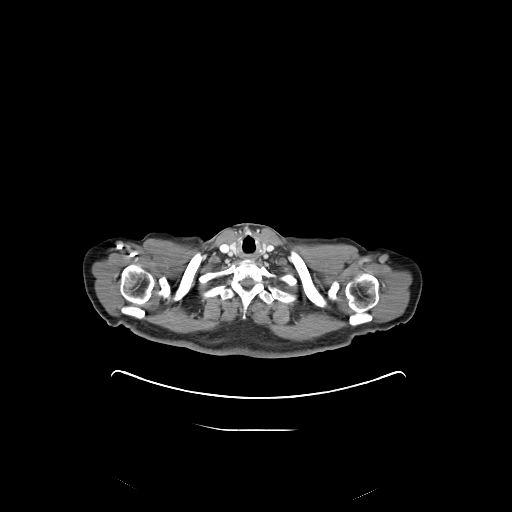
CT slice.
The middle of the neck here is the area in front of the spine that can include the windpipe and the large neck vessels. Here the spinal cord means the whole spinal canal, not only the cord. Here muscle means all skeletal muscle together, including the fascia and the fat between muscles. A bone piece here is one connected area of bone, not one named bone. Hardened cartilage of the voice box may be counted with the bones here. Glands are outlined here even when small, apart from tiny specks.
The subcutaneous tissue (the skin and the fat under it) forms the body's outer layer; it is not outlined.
The torso is outlined by (241, 222) (268, 225) (286, 236) (344, 236) (359, 243) (364, 248) (344, 281) (345, 299) (352, 307) (396, 326) (356, 336) (349, 345) (332, 350) (255, 358) (201, 353) (145, 339) (123, 325) (108, 325) (99, 315) (141, 308) (157, 281) (139, 239) (153, 231) (208, 239). The bones appear in 5 outlined pieces: piece 1: (244, 259) (253, 260) (278, 277) (291, 274) (296, 279) (294, 285) (278, 278) (265, 280) (297, 299) (291, 303) (275, 299) (267, 304) (256, 295) (243, 319) (243, 305) (236, 293) (224, 300) (219, 295) (202, 297) (202, 292) (230, 276) (200, 282) (201, 275) (225, 270) with a hole at (245, 278) (250, 278) (251, 279) (252, 279) (252, 280) (254, 282) (254, 283) (253, 284) (253, 285) (250, 288) (249, 288) (248, 289) (246, 289) (244, 287) (243, 287) (243, 286) (240, 283) (240, 281) (241, 281) (242, 280) (243, 280); piece 2: (129, 264) (138, 264) (142, 268) (148, 271) (155, 280) (155, 284) (152, 290) (150, 298) (141, 306) (145, 311) (145, 316) (142, 319) (138, 319) (135, 317) (126, 315) (122, 313) (121, 311) (121, 308) (123, 306) (131, 304) (130, 302) (124, 298) (119, 289) (121, 272); piece 3: (361, 273) (369, 273) (377, 278) (379, 282) (379, 299) (378, 302) (368, 311) (372, 316) (372, 319) (369, 322) (366, 322) (355, 326) (352, 326) (349, 324) (348, 319) (349, 316) (353, 311) (349, 307) (348, 305) (348, 300) (345, 296) (345, 286) (350, 280) (358, 274); piece 4: (292, 249) (301, 257) (305, 263) (315, 287) (323, 296) (326, 298) (327, 297) (328, 289) (333, 281) (335, 280) (338, 282) (339, 288) (336, 293) (339, 298) (338, 300) (328, 300) (327, 305) (325, 307) (319, 307) (309, 300) (303, 290) (298, 272) (294, 264) (288, 258); piece 5: (198, 251) (205, 255) (205, 257) (200, 262) (196, 270) (192, 281) (192, 285) (188, 292) (180, 300) (177, 301) (163, 298) (157, 294) (157, 291) (160, 289) (158, 280) (162, 276) (164, 276) (166, 278) (170, 286) (171, 292) (173, 293) (175, 291) (188, 263) (193, 255). The right arm is outlined by (114, 236) (126, 236) (138, 239) (140, 241) (146, 250) (150, 262) (150, 265) (156, 281) (146, 304) (141, 307) (129, 307) (128, 308) (117, 309) (98, 314) (94, 309) (85, 292) (84, 284) (83, 283) (83, 276) (82, 275) (82, 260) (85, 252) (91, 246) (107, 238). The muscle is outlined by (244, 226) (267, 228) (288, 242) (345, 243) (361, 255) (385, 253) (394, 268) (412, 274) (409, 302) (401, 315) (372, 322) (369, 311) (379, 302) (380, 282) (361, 272) (344, 286) (351, 326) (314, 339) (281, 338) (251, 321) (179, 333) (142, 320) (142, 306) (156, 280) (138, 263) (129, 263) (120, 272) (118, 286) (130, 303) (120, 311) (129, 316) (113, 316) (96, 295) (91, 266) (114, 243) (141, 245) (148, 238) (161, 238) (208, 244) (222, 232), around holes outlined by (242, 234) (253, 234) (273, 247) (267, 259) (255, 263) (278, 277) (291, 274) (294, 285) (265, 280) (295, 294) (295, 301) (267, 304) (256, 295) (243, 319) (236, 293) (224, 300) (219, 295) (202, 297) (230, 276) (206, 282) (199, 277) (237, 264) (239, 259) (219, 248) and by (292, 249) (301, 257) (305, 263) (315, 287) (323, 296) (326, 298) (327, 297) (328, 289) (333, 281) (335, 280) (338, 282) (339, 288) (336, 293) (339, 298) (338, 300) (328, 300) (327, 305) (325, 307) (319, 307) (309, 300) (303, 290) (298, 272) (294, 264) (288, 258) and by (198, 251) (205, 255) (205, 257) (200, 262) (196, 270) (192, 281) (192, 285) (188, 292) (180, 300) (177, 301) (163, 298) (157, 294) (157, 291) (160, 289) (158, 280) (162, 276) (164, 276) (166, 278) (170, 286) (171, 292) (173, 293) (175, 291) (188, 263) (193, 255). The left arm is outlined by (377, 247) (386, 247) (395, 250) (402, 254) (405, 254) (413, 258) (419, 264) (421, 268) (423, 276) (422, 292) (413, 316) (406, 323) (401, 323) (398, 325) (395, 325) (390, 322) (360, 310) (348, 303) (343, 292) (344, 291) (345, 281) (364, 249) (366, 248) (370, 250). The middle of the neck is outlined by (242, 234) (253, 234) (261, 240) (259, 248) (260, 254) (262, 254) (266, 250) (268, 244) (271, 245) (273, 249) (269, 254) (269, 257) (267, 259) (263, 260) (260, 259) (255, 261) (249, 258) (236, 259) (228, 257) (227, 255) (221, 252) (219, 250) (220, 245) (227, 243) with a hole at (236, 239) (237, 239) (237, 248) (238, 249) (238, 251) (239, 252) (239, 253) (237, 255) (236, 254) (234, 254) (232, 252) (232, 250) (230, 248) (230, 246) (229, 245) (230, 244) (230, 243) (233, 240) (235, 240). The thyroid glands appear in 2 outlined pieces: piece 1: (236, 239) (237, 239) (237, 248) (238, 249) (238, 251) (239, 252) (239, 253) (237, 255) (236, 254) (234, 254) (232, 252) (232, 250) (230, 248) (230, 246) (229, 245) (230, 244) (230, 243) (233, 240) (235, 240); piece 2: (263, 240) (264, 241) (265, 241) (266, 242) (266, 243) (267, 244) (267, 245) (266, 246) (266, 248) (265, 249) (265, 250) (262, 253) (260, 253) (260, 248) (261, 247) (261, 242). The spinal cord is outlined by (245, 278) (250, 278) (251, 279) (252, 279) (252, 280) (254, 282) (254, 283) (253, 284) (253, 285) (250, 288) (249, 288) (248, 289) (246, 289) (244, 287) (243, 287) (243, 286) (240, 283) (240, 281) (241, 281) (242, 280) (243, 280).